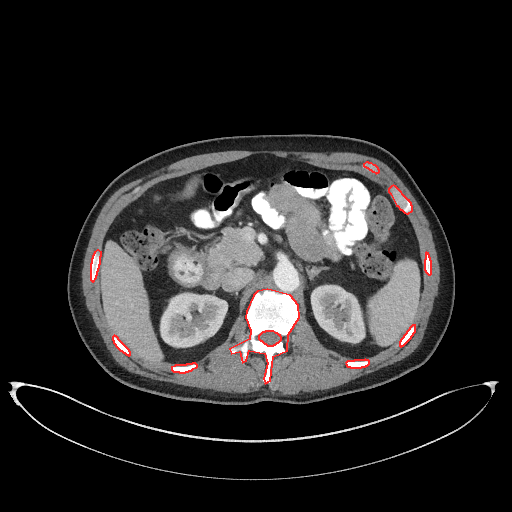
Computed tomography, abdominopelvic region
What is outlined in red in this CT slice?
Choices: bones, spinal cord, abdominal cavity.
red: bones.
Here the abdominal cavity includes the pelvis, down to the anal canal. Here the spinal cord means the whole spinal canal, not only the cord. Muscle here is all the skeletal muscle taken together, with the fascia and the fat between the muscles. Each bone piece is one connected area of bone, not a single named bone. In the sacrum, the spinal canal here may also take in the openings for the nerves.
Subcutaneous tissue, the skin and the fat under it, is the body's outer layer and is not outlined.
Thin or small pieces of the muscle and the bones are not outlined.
bones 1: (265, 383) (270, 380) (273, 356) (287, 350) (288, 334) (299, 317) (298, 305) (290, 295) (267, 289) (257, 291) (253, 295) (246, 311) (245, 317) (250, 330) (249, 339) (229, 349) (231, 353) (239, 351) (242, 362) (246, 360) (249, 350) (264, 353) (267, 363) (263, 378), around a hole outlined by (267, 345) (273, 345) (274, 344) (275, 344) (277, 342) (278, 342) (281, 339) (281, 337) (280, 336) (280, 335) (279, 335) (277, 333) (276, 333) (273, 331) (265, 331) (264, 332) (262, 332) (258, 336) (258, 338) (260, 340) (261, 340) (264, 343) (265, 343)
bones 2: (406, 213) (408, 213) (412, 210) (412, 206) (411, 205) (411, 203) (409, 201) (409, 200) (408, 200) (395, 186) (393, 185) (391, 186) (388, 189) (388, 191) (390, 193) (396, 205) (397, 205) (400, 209) (401, 209) (404, 212)
bones 3: (92, 281) (93, 281) (96, 277) (96, 275) (97, 274) (97, 271) (98, 270) (98, 268) (99, 267) (99, 264) (100, 263) (100, 256) (101, 255) (101, 252) (98, 250) (97, 250) (94, 252) (94, 253) (92, 256) (92, 258) (91, 259) (91, 263) (90, 264) (90, 279)
bones 4: (179, 372) (185, 372) (186, 371) (188, 371) (189, 370) (191, 370) (193, 368) (196, 367) (197, 366) (197, 365) (195, 363) (192, 363) (191, 364) (186, 364) (185, 365) (175, 365) (174, 366) (171, 367) (171, 369) (173, 371) (178, 371)
bones 5: (350, 367) (361, 367) (362, 366) (365, 366) (366, 365) (367, 365) (369, 363) (369, 361) (368, 360) (366, 360) (365, 359) (364, 360) (354, 360) (353, 361) (347, 361) (345, 363) (346, 364) (346, 365) (347, 366) (349, 366)
bones 6: (400, 346) (401, 346) (402, 345) (403, 345) (411, 337) (411, 336) (413, 334) (413, 333) (415, 331) (415, 325) (412, 325) (409, 328) (409, 329) (406, 332) (406, 333) (403, 336) (403, 337) (400, 340) (400, 341) (399, 342) (399, 345)
bones 7: (128, 355) (129, 355) (130, 354) (130, 352) (129, 351) (129, 350) (118, 339) (118, 338) (116, 336) (115, 336) (114, 335) (112, 337) (112, 339) (113, 340) (113, 342) (115, 344) (115, 345) (120, 350) (121, 350) (123, 352) (124, 352) (126, 354) (127, 354)
bones 8: (428, 274) (430, 274) (431, 273) (431, 261) (430, 260) (430, 258) (429, 257) (429, 255) (428, 254) (428, 253) (427, 253) (426, 252) (425, 253) (425, 259) (424, 260) (424, 269) (425, 270) (425, 271)
bones 9: (376, 173) (377, 172) (378, 172) (379, 171) (379, 170) (378, 169) (378, 168) (375, 165) (374, 165) (371, 163) (369, 163) (368, 162) (366, 162) (363, 164) (363, 165) (364, 166) (365, 166) (366, 167) (367, 167) (369, 169) (370, 169) (372, 171) (373, 171)
spinal cord: (267, 345) (273, 345) (274, 344) (275, 344) (277, 342) (278, 342) (281, 339) (281, 337) (280, 336) (280, 335) (279, 335) (277, 333) (276, 333) (273, 331) (265, 331) (264, 332) (262, 332) (258, 336) (258, 338) (260, 340) (261, 340) (264, 343) (265, 343)
torso: (228, 405) (260, 401) (304, 404) (366, 390) (418, 368) (435, 351) (453, 309) (452, 254) (433, 208) (407, 169) (385, 148) (359, 138) (328, 134) (239, 135) (193, 141) (130, 166) (106, 186) (90, 209) (67, 276) (69, 308) (88, 351) (110, 376) (129, 387) (173, 399)
muscle: (282, 395) (292, 395) (298, 393) (305, 393) (306, 392) (311, 392) (322, 389) (328, 389) (343, 384) (352, 379) (375, 371) (382, 367) (392, 364) (403, 359) (409, 355) (421, 342) (428, 323) (429, 316) (433, 308) (434, 298) (438, 291) (440, 270) (437, 259) (437, 253) (435, 249) (431, 230) (429, 227) (429, 223) (420, 206) (403, 182) (386, 164) (380, 160) (371, 156) (359, 154) (354, 152) (329, 152) (328, 153) (327, 152) (315, 152) (314, 151) (285, 151) (284, 150) (255, 150) (254, 151) (230, 150) (229, 151) (220, 151) (219, 152) (200, 154) (181, 159) (165, 167) (162, 167) (160, 169) (158, 169) (145, 176) (129, 182) (116, 190) (106, 201) (97, 216) (86, 248) (82, 271) (81, 272) (81, 277) (82, 278) (81, 279) (81, 288) (82, 289) (82, 294) (84, 298) (84, 301) (92, 316) (95, 326) (98, 329) (107, 349) (110, 352) (110, 354) (114, 360) (118, 364) (130, 372) (136, 373) (156, 380) (167, 381) (186, 386) (197, 387) (202, 389) (211, 389) (216, 391) (232, 392) (233, 393) (245, 393) (246, 392) (256, 391) (259, 390) (265, 384) (267, 384) (276, 393) with holes at (265, 383) (300, 315) (324, 346) (354, 359) (345, 363) (350, 367) (367, 365) (362, 358) (403, 345) (415, 331) (423, 270) (431, 273) (431, 261) (426, 252) (422, 265) (406, 215) (411, 203) (395, 186) (388, 195) (357, 172) (256, 154) (162, 181) (110, 225) (102, 251) (92, 256) (90, 279) (98, 275) (115, 345) (128, 355) (177, 363) (171, 369) (185, 372) (226, 339) (242, 312) (250, 337) (229, 350) (239, 351) (242, 362) (249, 350) (264, 353) and at (376, 173) (377, 172) (378, 172) (379, 171) (379, 170) (378, 169) (378, 168) (375, 165) (374, 165) (371, 163) (369, 163) (368, 162) (366, 162) (363, 164) (363, 165) (364, 166) (365, 166) (366, 167) (367, 167) (369, 169) (370, 169) (372, 171) (373, 171)
abdominal cavity: (178, 364) (194, 362) (222, 343) (238, 314) (245, 315) (252, 295) (265, 288) (290, 294) (319, 341) (343, 355) (361, 359) (393, 345) (415, 319) (423, 283) (406, 214) (357, 172) (269, 154) (209, 166) (149, 188) (106, 233) (98, 271) (100, 300) (108, 324) (130, 351)